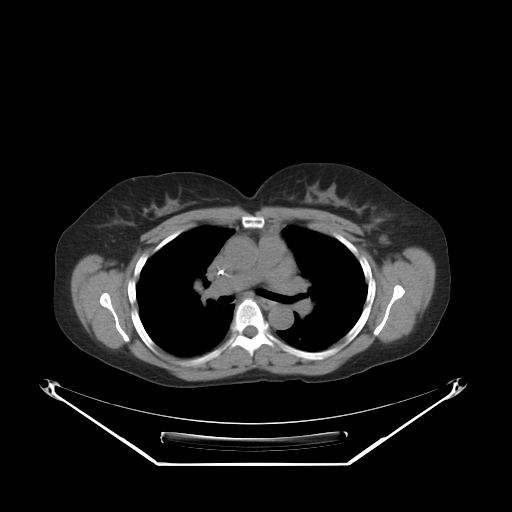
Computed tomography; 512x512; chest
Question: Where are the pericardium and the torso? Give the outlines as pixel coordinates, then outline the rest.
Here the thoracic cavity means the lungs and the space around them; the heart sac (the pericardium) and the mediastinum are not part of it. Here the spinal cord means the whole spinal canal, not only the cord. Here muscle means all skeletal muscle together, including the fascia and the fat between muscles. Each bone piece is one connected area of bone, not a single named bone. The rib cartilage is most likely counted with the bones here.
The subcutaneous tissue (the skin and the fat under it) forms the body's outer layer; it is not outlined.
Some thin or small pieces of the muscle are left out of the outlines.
Answer: {"pericardium":[[[248,231],[263,231],[264,232],[271,233],[276,238],[280,239],[285,244],[286,247],[291,253],[293,262],[295,266],[295,272],[293,278],[282,284],[269,284],[265,282],[254,283],[251,281],[248,281],[236,268],[228,264],[224,255],[225,248],[239,234]]],"torso":[[[306,161],[337,162],[359,168],[430,213],[441,225],[451,271],[450,299],[436,331],[417,351],[331,382],[260,381],[176,388],[112,367],[79,349],[61,331],[52,303],[56,243],[63,230],[114,184],[137,175],[196,171],[223,179],[250,196],[275,171]]],"muscle":[{"outer":[[219,206],[239,206],[252,214],[263,206],[328,211],[360,226],[364,247],[378,265],[406,247],[421,247],[431,254],[435,262],[435,284],[429,303],[409,334],[386,344],[376,341],[333,371],[321,375],[277,374],[253,368],[219,379],[189,381],[137,358],[126,349],[122,351],[108,348],[88,333],[74,308],[70,281],[78,261],[85,255],[95,253],[106,260],[127,265],[138,248],[147,245],[140,241],[143,233],[179,213]],"holes":[[[244,215],[262,216],[266,224],[294,224],[331,237],[337,233],[366,258],[375,281],[370,312],[360,331],[338,351],[323,359],[310,360],[293,355],[277,345],[272,347],[264,343],[252,356],[236,345],[203,363],[181,365],[179,361],[191,357],[177,356],[157,344],[156,353],[141,339],[131,318],[132,306],[127,291],[140,256],[147,253],[150,257],[163,239],[180,229],[185,232],[203,225],[231,226],[240,224]],[[396,284],[398,284],[402,286],[405,291],[403,295],[401,297],[396,299],[393,302],[390,307],[387,319],[383,327],[377,335],[374,335],[373,334],[373,331],[374,329],[381,322],[384,316],[384,314],[386,310],[386,307],[392,297],[393,288]],[[104,292],[108,293],[110,296],[111,304],[117,315],[119,325],[120,327],[126,333],[129,338],[129,341],[127,342],[126,342],[123,339],[122,336],[117,330],[115,325],[115,320],[112,313],[106,307],[104,307],[101,305],[99,302],[99,298],[101,294]]]}],"spinal_cord":[[[248,326],[253,326],[254,327],[255,327],[257,330],[257,332],[256,333],[256,334],[255,334],[253,336],[252,336],[251,337],[249,337],[248,336],[247,336],[246,335],[245,335],[243,333],[243,331],[244,330],[244,329],[246,327],[247,327]]],"thoracic_cavity":[[[203,225],[222,226],[233,229],[233,233],[223,243],[207,270],[211,272],[217,293],[220,296],[231,297],[230,302],[234,306],[234,309],[228,335],[222,342],[201,355],[181,357],[159,346],[145,329],[139,314],[136,286],[144,265],[153,254],[183,232]],[[288,224],[294,224],[336,239],[357,259],[366,282],[366,296],[358,318],[341,338],[322,350],[309,351],[297,348],[276,335],[278,331],[291,328],[295,322],[295,314],[298,312],[296,296],[300,292],[300,283],[302,281],[302,274],[294,252],[281,233]]],"mediastinum":[{"outer":[[239,223],[246,229],[285,224],[280,233],[293,252],[301,281],[295,296],[297,312],[294,322],[291,327],[278,330],[275,334],[252,297],[243,298],[235,307],[231,296],[218,293],[212,272],[208,270],[224,243],[234,233],[233,228],[223,226]],"hole":[[248,231],[263,231],[264,232],[271,233],[276,238],[280,239],[285,244],[286,247],[291,253],[293,262],[295,266],[295,272],[293,278],[282,284],[269,284],[265,282],[254,283],[251,281],[248,281],[236,268],[228,264],[224,255],[225,248],[239,234]]}],"bones":[{"outer":[[333,233],[344,237],[366,258],[375,281],[369,315],[351,341],[319,360],[264,343],[252,356],[236,345],[203,363],[179,364],[218,347],[229,335],[236,306],[245,298],[257,303],[270,331],[290,346],[316,352],[340,345],[362,312],[367,282],[358,259]],"hole":[[248,326],[253,326],[254,327],[255,327],[257,330],[257,332],[256,333],[256,334],[255,334],[253,336],[252,336],[251,337],[249,337],[248,336],[247,336],[246,335],[245,335],[243,333],[243,331],[244,330],[244,329],[246,327],[247,327]]},[[144,253],[147,253],[149,256],[136,279],[136,302],[134,304],[134,307],[138,310],[138,314],[144,329],[156,344],[155,349],[157,353],[152,351],[144,343],[135,329],[131,318],[132,306],[129,301],[127,291],[128,282],[133,277],[135,265],[140,256]],[[396,284],[398,284],[402,286],[405,291],[403,295],[401,297],[396,299],[393,302],[390,307],[387,319],[383,327],[377,335],[374,335],[373,334],[373,331],[374,329],[381,322],[384,316],[384,314],[386,310],[386,307],[392,297],[393,288]],[[104,292],[108,293],[110,296],[111,304],[117,315],[119,325],[120,327],[126,333],[129,338],[129,341],[127,342],[126,342],[123,339],[122,336],[117,330],[115,325],[115,320],[112,313],[106,307],[104,307],[101,305],[99,302],[99,298],[101,294]],[[244,215],[258,215],[259,216],[262,216],[264,218],[264,220],[265,221],[265,224],[264,225],[264,226],[263,227],[262,227],[261,228],[246,228],[245,227],[244,227],[241,224],[241,218],[242,217],[242,216],[243,216]],[[180,229],[183,229],[183,231],[180,234],[179,234],[173,239],[172,239],[170,241],[169,241],[167,243],[166,243],[154,253],[153,253],[152,252],[153,249],[163,239],[164,239],[169,235],[172,234],[174,232],[175,232]]]}